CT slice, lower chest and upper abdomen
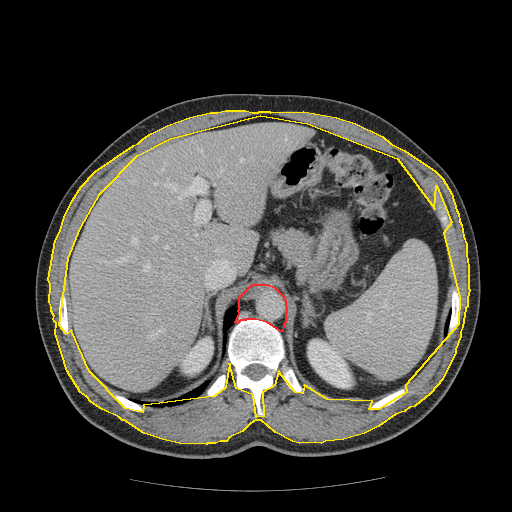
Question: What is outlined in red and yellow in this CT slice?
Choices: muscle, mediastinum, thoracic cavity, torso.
Answer: red: mediastinum; yellow: muscle.
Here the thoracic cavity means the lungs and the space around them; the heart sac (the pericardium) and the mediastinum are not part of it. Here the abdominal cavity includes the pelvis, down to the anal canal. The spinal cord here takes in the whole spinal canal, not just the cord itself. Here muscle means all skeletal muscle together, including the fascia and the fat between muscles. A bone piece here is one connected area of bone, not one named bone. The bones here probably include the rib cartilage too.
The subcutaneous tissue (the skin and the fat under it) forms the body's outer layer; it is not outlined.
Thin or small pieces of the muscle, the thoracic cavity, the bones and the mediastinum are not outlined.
{"mediastinum":[[[252,284],[266,284],[270,285],[274,287],[283,296],[283,298],[285,300],[286,312],[285,313],[285,322],[283,325],[282,331],[280,331],[267,322],[255,319],[246,319],[245,320],[240,320],[237,323],[235,322],[239,313],[238,310],[239,309],[239,297]]],"muscle":[{"outer":[[225,110],[245,110],[252,112],[258,112],[259,111],[269,111],[270,112],[303,111],[336,117],[355,123],[382,136],[390,143],[404,150],[435,171],[442,178],[451,193],[456,210],[458,213],[459,221],[461,224],[463,236],[466,244],[466,254],[468,266],[468,288],[469,289],[467,298],[467,306],[465,308],[462,327],[460,331],[460,336],[455,349],[455,352],[442,379],[430,393],[414,406],[409,407],[404,411],[395,414],[378,426],[364,433],[343,439],[325,441],[321,443],[315,442],[299,443],[292,441],[275,432],[261,420],[255,420],[250,423],[242,431],[229,437],[226,441],[220,441],[215,443],[207,443],[206,444],[179,443],[162,439],[144,433],[124,420],[122,420],[119,417],[102,409],[91,402],[86,396],[80,392],[67,371],[55,333],[56,323],[54,321],[53,318],[54,316],[51,311],[51,306],[49,302],[50,284],[48,279],[55,240],[59,233],[64,217],[72,200],[81,186],[95,171],[133,145],[138,143],[143,138],[151,133],[167,125],[189,117],[210,112],[217,112]],"hole":[[260,115],[307,123],[397,158],[434,208],[436,185],[451,222],[443,233],[459,296],[458,324],[405,385],[406,392],[378,409],[369,409],[372,401],[327,399],[304,385],[302,393],[295,392],[278,371],[274,385],[262,392],[263,416],[256,417],[253,395],[236,388],[229,363],[225,387],[214,396],[143,405],[142,412],[125,408],[89,371],[71,330],[66,334],[59,325],[68,258],[80,228],[100,193],[137,155],[170,138]]}],"torso":[[[224,93],[310,95],[365,108],[427,152],[462,198],[480,267],[474,335],[444,397],[422,420],[387,442],[326,457],[293,457],[263,446],[203,460],[154,454],[88,422],[53,371],[37,323],[35,277],[46,231],[63,195],[112,141],[146,116],[183,100]]],"bones":[{"outer":[[246,320],[267,323],[281,333],[288,363],[304,388],[302,393],[290,389],[278,371],[274,385],[262,392],[260,406],[263,416],[256,417],[253,395],[247,388],[236,388],[235,374],[229,363],[224,389],[214,396],[200,395],[223,371],[221,367],[232,327]],"hole":[[252,364],[259,364],[260,365],[262,365],[266,367],[269,371],[269,372],[268,372],[264,376],[263,376],[258,380],[254,380],[253,379],[251,379],[248,376],[244,374],[243,373],[243,371],[244,369],[247,366],[249,365],[251,365]]},[[452,284],[456,287],[457,291],[458,292],[458,295],[459,296],[459,311],[460,312],[460,315],[459,316],[459,321],[456,328],[452,334],[448,336],[447,332],[448,331],[448,328],[449,327],[449,322],[450,321],[450,316],[451,315],[451,292],[452,291]],[[404,386],[406,386],[407,387],[406,392],[400,398],[396,400],[393,403],[387,406],[385,406],[384,407],[382,407],[378,409],[374,409],[373,410],[371,409],[369,409],[369,406],[373,402],[375,402],[383,398],[388,394]],[[435,185],[436,185],[437,189],[439,191],[441,195],[441,197],[447,208],[447,212],[449,216],[449,219],[451,222],[451,225],[449,224],[446,227],[443,227],[442,226],[442,224],[438,217],[438,211],[436,207],[435,197],[433,194],[433,191],[434,190]],[[64,290],[65,292],[65,297],[66,298],[66,305],[67,306],[67,319],[68,320],[68,325],[69,326],[69,330],[66,334],[63,332],[62,329],[59,325],[59,318],[58,317],[58,308],[59,307],[59,300],[60,299],[60,296],[61,295],[61,293]],[[112,392],[115,392],[117,394],[119,394],[132,401],[134,401],[136,403],[138,403],[140,404],[144,408],[144,410],[142,412],[137,412],[136,411],[133,411],[130,409],[125,408],[123,406],[119,404],[114,399],[113,397],[113,395],[112,394]]],"thoracic_cavity":[[[206,381],[209,382],[209,385],[199,395],[179,404],[170,405],[169,406],[165,405],[157,407],[156,406],[142,405],[140,403],[135,401],[139,401],[140,402],[143,401],[145,402],[159,402],[161,403],[166,400],[177,398],[196,388]],[[236,303],[237,305],[237,310],[238,311],[238,313],[237,314],[236,319],[234,321],[228,333],[228,336],[227,337],[227,344],[226,345],[225,353],[224,354],[223,353],[223,335],[222,334],[223,317],[227,309],[228,309],[231,306],[232,306]]],"spinal_cord":[[[252,364],[259,364],[260,365],[262,365],[266,367],[269,371],[269,372],[268,372],[264,376],[263,376],[258,380],[254,380],[253,379],[251,379],[248,376],[244,374],[243,373],[243,371],[244,369],[247,366],[249,365],[251,365]]],"abdominal_cavity":[[[260,115],[325,129],[407,166],[447,243],[443,339],[415,377],[383,397],[327,399],[300,382],[287,358],[284,296],[252,283],[238,309],[236,302],[223,314],[225,357],[211,383],[161,402],[112,391],[89,371],[68,319],[66,268],[90,208],[137,155]]]}